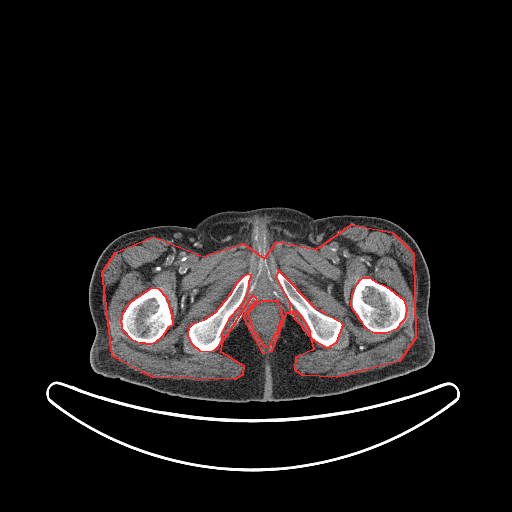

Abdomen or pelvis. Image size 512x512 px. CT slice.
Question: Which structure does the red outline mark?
Answer: red: muscle.
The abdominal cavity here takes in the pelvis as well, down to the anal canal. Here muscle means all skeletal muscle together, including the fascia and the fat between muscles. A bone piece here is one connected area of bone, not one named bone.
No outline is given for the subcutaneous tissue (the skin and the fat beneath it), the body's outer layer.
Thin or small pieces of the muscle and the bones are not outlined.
Outlines:
muscle 1: (351, 224) (392, 232) (413, 253) (415, 338) (399, 361) (336, 377) (302, 375) (295, 370) (296, 356) (314, 348) (311, 338) (327, 348) (337, 341) (343, 324) (315, 308) (278, 270) (275, 277) (289, 302) (289, 313) (285, 313) (271, 351) (263, 353) (243, 316) (257, 299) (252, 295) (221, 343) (220, 351) (243, 365) (242, 374) (235, 379) (152, 377) (112, 356) (102, 272) (115, 252) (153, 236) (203, 256) (243, 243) (264, 258) (277, 241) (316, 249) with holes at (363, 277) (369, 277) (375, 281) (386, 286) (403, 299) (406, 308) (405, 316) (404, 319) (399, 324) (398, 327) (396, 329) (385, 333) (374, 333) (367, 329) (364, 326) (362, 322) (359, 319) (358, 316) (353, 310) (351, 305) (352, 293) (357, 283) (360, 279) and at (152, 287) (158, 288) (165, 296) (170, 309) (170, 312) (171, 313) (172, 325) (168, 327) (162, 336) (155, 342) (151, 344) (146, 344) (145, 343) (140, 343) (132, 340) (123, 330) (122, 328) (122, 324) (121, 323) (121, 319) (122, 318) (122, 314) (129, 303) (132, 300) and at (248, 273) (250, 274) (250, 278) (248, 281) (248, 288) (244, 299) (240, 306) (228, 319) (221, 333) (221, 340) (218, 346) (214, 350) (209, 352) (200, 351) (192, 344) (190, 340) (188, 335) (189, 327) (193, 323) (204, 319) (215, 312) (230, 294) (237, 282) (244, 275) and at (262, 300) (277, 300) (279, 308) (281, 309) (281, 313) (280, 314) (281, 317) (279, 325) (277, 328) (277, 331) (272, 338) (268, 347) (266, 347) (259, 339) (258, 336) (256, 335) (252, 327) (252, 325) (250, 323) (250, 320) (248, 319) (250, 308) (252, 308) (254, 305)
muscle 2: (294, 309) (301, 316) (301, 317) (305, 322) (305, 323) (306, 324) (306, 325) (307, 326) (307, 327) (309, 330) (309, 336) (308, 335) (308, 334) (307, 333) (306, 333) (306, 332) (303, 329) (302, 326) (294, 318) (295, 317) (295, 315) (294, 314) (293, 314) (293, 310)
abdominal cavity: (262, 300) (277, 300) (279, 308) (281, 309) (281, 313) (280, 314) (281, 317) (279, 325) (277, 328) (277, 331) (272, 338) (268, 347) (266, 347) (259, 339) (258, 336) (256, 335) (252, 327) (252, 325) (250, 323) (250, 320) (248, 319) (250, 308) (252, 308) (254, 305)
bones 1: (363, 277) (369, 277) (375, 281) (386, 286) (403, 299) (406, 308) (405, 316) (404, 319) (399, 324) (398, 327) (396, 329) (385, 333) (374, 333) (367, 329) (364, 326) (362, 322) (359, 319) (358, 316) (353, 310) (351, 305) (352, 293) (357, 283) (360, 279)
bones 2: (152, 287) (158, 288) (165, 296) (170, 309) (170, 312) (171, 313) (172, 325) (168, 327) (162, 336) (155, 342) (151, 344) (146, 344) (145, 343) (140, 343) (132, 340) (123, 330) (122, 328) (122, 324) (121, 323) (121, 319) (122, 318) (122, 314) (129, 303) (132, 300)
bones 3: (248, 273) (250, 274) (250, 278) (248, 281) (248, 288) (244, 299) (240, 306) (228, 319) (221, 333) (221, 340) (218, 346) (214, 350) (209, 352) (200, 351) (192, 344) (190, 340) (188, 335) (189, 327) (193, 323) (204, 319) (215, 312) (230, 294) (237, 282) (244, 275)
bones 4: (276, 271) (285, 275) (315, 309) (328, 316) (336, 318) (341, 322) (342, 328) (338, 338) (334, 343) (327, 347) (317, 344) (310, 336) (310, 330) (302, 316) (294, 308) (292, 310) (294, 317) (290, 313) (288, 309) (290, 302) (284, 294) (276, 277)
bones 5: (251, 296) (253, 297) (256, 297) (256, 299) (253, 299) (246, 306) (246, 308) (244, 312) (242, 314) (242, 316) (239, 320) (239, 321) (232, 329) (229, 329) (229, 327) (233, 322) (235, 317) (237, 315) (239, 311) (241, 310) (243, 305) (245, 304) (247, 299)
torso: (277, 206) (314, 218) (379, 217) (397, 224) (415, 240) (430, 277) (428, 316) (435, 350) (426, 366) (340, 394) (265, 402) (173, 396) (106, 377) (92, 369) (90, 349) (96, 330) (88, 305) (88, 289) (97, 259) (110, 242) (124, 233) (153, 226) (193, 227) (220, 211)